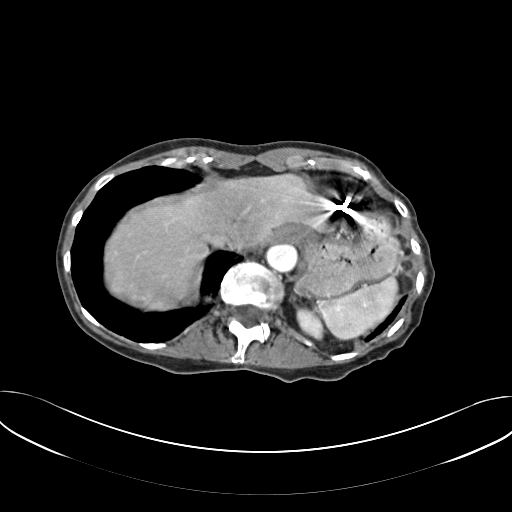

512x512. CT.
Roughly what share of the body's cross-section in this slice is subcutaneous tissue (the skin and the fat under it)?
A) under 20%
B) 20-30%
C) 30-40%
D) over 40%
A) under 20%
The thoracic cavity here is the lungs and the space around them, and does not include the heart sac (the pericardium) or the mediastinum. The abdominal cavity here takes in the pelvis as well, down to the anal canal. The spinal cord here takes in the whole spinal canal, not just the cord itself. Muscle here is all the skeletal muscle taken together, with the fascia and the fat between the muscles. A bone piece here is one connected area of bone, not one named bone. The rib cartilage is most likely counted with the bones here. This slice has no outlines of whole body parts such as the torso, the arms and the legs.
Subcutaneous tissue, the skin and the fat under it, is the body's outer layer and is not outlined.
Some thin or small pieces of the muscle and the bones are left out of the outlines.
Outlined structures:
abdominal cavity: (253, 161) (276, 170) (353, 176) (401, 216) (413, 286) (353, 350) (321, 349) (284, 319) (282, 280) (297, 261) (294, 243) (248, 255) (214, 251) (200, 291) (215, 301) (197, 307) (144, 312) (104, 287) (104, 243) (127, 210) (197, 183) (200, 176) (185, 166) (237, 168)
bones 1: (246, 260) (253, 260) (258, 262) (279, 276) (283, 286) (284, 294) (282, 300) (275, 309) (273, 310) (271, 309) (264, 312) (262, 309) (250, 303) (242, 305) (237, 305) (232, 307) (222, 301) (219, 295) (219, 290) (220, 289) (221, 281) (225, 273) (234, 264)
bones 2: (292, 155) (299, 155) (304, 160) (309, 158) (326, 157) (350, 161) (354, 164) (360, 164) (362, 166) (365, 166) (373, 175) (374, 178) (365, 181) (358, 175) (351, 175) (333, 168) (321, 168) (320, 169) (306, 167) (298, 168) (289, 167) (286, 164) (285, 160) (287, 157)
bones 3: (230, 315) (235, 318) (246, 328) (249, 328) (264, 320) (268, 323) (270, 328) (270, 334) (267, 340) (262, 343) (258, 340) (254, 339) (248, 344) (244, 353) (244, 363) (233, 363) (231, 361) (231, 357) (237, 350) (237, 338) (235, 335) (229, 331) (227, 326) (228, 318)
bones 4: (201, 152) (214, 158) (211, 162) (209, 162) (207, 164) (200, 163) (197, 160) (192, 163) (186, 164) (183, 167) (179, 168) (178, 167) (171, 167) (170, 166) (163, 166) (154, 164) (157, 160) (166, 157) (177, 156) (178, 155) (179, 156) (184, 155) (185, 156) (190, 156)
bones 5: (107, 173) (113, 173) (115, 175) (115, 176) (114, 177) (113, 177) (107, 183) (106, 183) (102, 187) (101, 187) (95, 193) (94, 193) (94, 192) (93, 191) (93, 189) (92, 188) (92, 187) (93, 186) (94, 183) (101, 176) (102, 176) (104, 174) (106, 174)
bones 6: (394, 199) (398, 199) (400, 201) (401, 201) (404, 204) (405, 204) (405, 205) (407, 207) (407, 208) (409, 211) (409, 216) (408, 217) (403, 217) (399, 213) (399, 212) (396, 209) (396, 208) (395, 207) (395, 206) (393, 203) (393, 201) (394, 200)
bones 7: (354, 350) (355, 351) (357, 351) (357, 352) (358, 353) (355, 356) (353, 356) (350, 358) (347, 358) (346, 359) (342, 359) (341, 360) (333, 360) (330, 358) (330, 356) (333, 354) (338, 354) (339, 353) (343, 353) (344, 352) (349, 352) (350, 351) (353, 351)
bones 8: (401, 317) (402, 317) (404, 319) (404, 320) (403, 321) (403, 323) (390, 336) (386, 336) (385, 335) (385, 334) (387, 332) (387, 331) (389, 329) (389, 328) (391, 326) (391, 325) (392, 325) (399, 318) (400, 318)
bones 9: (81, 304) (85, 308) (85, 309) (86, 310) (87, 310) (87, 311) (97, 321) (98, 321) (103, 326) (104, 326) (104, 328) (103, 328) (102, 327) (100, 327) (99, 326) (94, 324) (92, 322) (91, 322) (83, 314) (83, 313) (80, 308) (80, 306) (81, 305)
mediastinum: (278, 244) (294, 244) (295, 246) (295, 251) (296, 252) (296, 261) (293, 269) (286, 274) (282, 279) (281, 279) (280, 276) (274, 271) (258, 261) (256, 261) (253, 259) (246, 259) (243, 260) (243, 256) (248, 256) (254, 254) (260, 254) (264, 251) (268, 250)
spinal cord: (248, 304) (253, 305) (254, 306) (257, 307) (259, 309) (262, 310) (264, 313) (264, 319) (263, 320) (262, 320) (249, 327) (246, 327) (242, 323) (241, 323) (235, 317) (234, 317) (232, 315) (232, 308) (233, 307) (236, 307) (237, 306) (242, 306) (243, 305) (247, 305)
muscle 1: (421, 246) (426, 281) (422, 294) (413, 306) (411, 321) (399, 337) (340, 364) (295, 369) (244, 364) (249, 344) (254, 340) (262, 344) (270, 337) (271, 328) (265, 313) (275, 310) (280, 303) (283, 319) (302, 336) (295, 338) (332, 354) (329, 358) (333, 361) (355, 357) (358, 346) (373, 340) (389, 326) (384, 335) (390, 337) (404, 323) (402, 316) (396, 318) (414, 284) (418, 295) (421, 293) (423, 289) (425, 283) (424, 273) (419, 269) (415, 274) (412, 258) (412, 253) (421, 254)
muscle 2: (63, 267) (64, 272) (70, 274) (71, 276) (80, 302) (79, 308) (91, 323) (149, 350) (162, 349) (167, 346) (166, 341) (186, 333) (191, 324) (212, 309) (219, 297) (231, 307) (226, 326) (236, 338) (236, 350) (230, 357) (232, 363) (143, 353) (104, 338) (88, 327) (77, 313) (63, 275)
muscle 3: (185, 146) (205, 146) (228, 152) (249, 155) (256, 155) (275, 148) (295, 147) (318, 150) (343, 157) (356, 159) (365, 164) (372, 170) (381, 183) (388, 190) (399, 197) (403, 202) (398, 198) (394, 198) (392, 203) (376, 193) (366, 182) (373, 180) (375, 177) (374, 175) (365, 165) (364, 165) (362, 165) (360, 163) (354, 163) (350, 160) (342, 158) (333, 158) (326, 156) (309, 157) (304, 159) (299, 154) (292, 154) (287, 156) (284, 160) (285, 164) (288, 167) (280, 169) (270, 167) (256, 160) (239, 165) (237, 167) (216, 166) (209, 167) (190, 164) (197, 161) (200, 164) (207, 165) (214, 160) (215, 158) (213, 156) (201, 151) (190, 155) (178, 154) (166, 156) (157, 159) (153, 164) (130, 169) (116, 175) (113, 172) (107, 172) (116, 167) (156, 153)
muscle 4: (410, 213) (410, 214) (411, 215) (411, 220) (412, 221) (412, 226) (413, 227) (414, 230) (416, 232) (416, 233) (420, 240) (420, 245) (420, 244) (417, 241) (417, 240) (413, 236) (412, 236) (409, 239) (409, 241) (402, 232) (402, 217) (403, 218) (408, 218) (410, 216)
muscle 5: (70, 219) (70, 225) (73, 228) (75, 228) (74, 229) (74, 234) (73, 235) (73, 239) (72, 240) (72, 243) (71, 244) (70, 249) (68, 248) (64, 252) (62, 256) (62, 262) (61, 250) (62, 249) (62, 245) (63, 244) (63, 241) (64, 240) (66, 229)
muscle 6: (92, 185) (91, 188) (92, 189) (92, 191) (93, 192) (94, 195) (93, 196) (91, 201) (88, 204) (88, 205) (84, 210) (82, 208) (80, 208) (79, 209) (78, 209) (72, 215) (72, 213) (73, 212) (74, 209) (82, 200) (82, 199) (86, 194) (87, 191)
thoracic cavity 1: (151, 165) (182, 168) (197, 174) (199, 180) (185, 189) (138, 203) (122, 214) (103, 243) (103, 287) (114, 299) (144, 313) (197, 308) (214, 302) (215, 304) (177, 335) (165, 341) (143, 342) (109, 329) (81, 303) (71, 275) (71, 247) (75, 229) (95, 194) (116, 176)
thoracic cavity 2: (217, 251) (231, 252) (235, 254) (236, 256) (242, 256) (242, 260) (238, 261) (231, 265) (224, 273) (220, 281) (219, 289) (218, 290) (218, 295) (219, 296) (216, 301) (216, 298) (211, 293) (207, 294) (202, 293) (201, 291) (201, 285) (206, 265) (206, 261) (210, 255)
thoracic cavity 3: (404, 297) (406, 298) (405, 302) (399, 313) (397, 315) (397, 317) (395, 318) (395, 320) (393, 323) (389, 325) (373, 339) (364, 342) (365, 338) (376, 328) (377, 328) (378, 326) (379, 326) (380, 324) (381, 324) (388, 317) (388, 316) (390, 315) (399, 303) (400, 300)